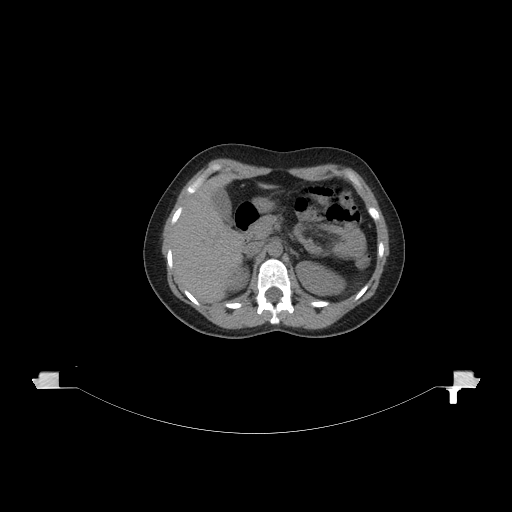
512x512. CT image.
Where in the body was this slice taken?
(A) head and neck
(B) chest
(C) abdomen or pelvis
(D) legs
Answer: (C) abdomen or pelvis
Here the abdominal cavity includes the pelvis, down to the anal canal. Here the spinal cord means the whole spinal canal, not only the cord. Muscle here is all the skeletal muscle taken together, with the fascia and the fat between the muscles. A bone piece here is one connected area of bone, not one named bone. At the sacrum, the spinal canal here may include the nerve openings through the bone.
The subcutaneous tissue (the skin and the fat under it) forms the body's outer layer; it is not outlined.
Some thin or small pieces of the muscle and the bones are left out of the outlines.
The spinal cord is outlined by [[271,287],[276,287],[277,288],[278,288],[281,291],[281,292],[282,293],[282,294],[281,295],[279,300],[278,301],[277,301],[275,303],[273,303],[272,302],[269,301],[266,298],[266,296],[265,295],[265,293],[266,292],[266,291],[269,288],[270,288]]. The abdominal cavity is outlined by [[217,171],[228,172],[236,179],[280,171],[307,181],[334,177],[349,181],[375,224],[376,259],[367,282],[345,299],[317,299],[300,287],[293,272],[280,259],[269,257],[259,265],[241,295],[212,304],[199,301],[180,285],[176,277],[172,236],[190,196]]. The bones appear in 10 outlined pieces: piece 1: [[269,258],[278,259],[286,266],[290,280],[293,311],[289,312],[285,309],[279,311],[276,315],[279,319],[278,324],[270,323],[272,313],[269,310],[264,309],[260,313],[257,312],[257,303],[255,300],[255,296],[258,293],[258,270],[260,265]], around a hole outlined by [[271,287],[276,287],[277,288],[278,288],[281,291],[281,292],[282,293],[282,294],[281,295],[279,300],[278,301],[277,301],[275,303],[273,303],[272,302],[269,301],[266,298],[266,296],[265,295],[265,293],[266,292],[266,291],[269,288],[270,288]]; piece 2: [[215,163],[217,164],[220,164],[221,165],[221,168],[219,170],[217,170],[210,173],[207,176],[207,177],[205,178],[202,183],[193,193],[191,194],[188,193],[186,190],[187,187],[189,185],[190,185],[201,174],[202,174],[210,165],[214,164]]; piece 3: [[345,169],[348,169],[349,170],[351,170],[356,175],[356,176],[358,178],[358,179],[359,180],[359,181],[361,184],[361,188],[358,188],[357,187],[356,187],[348,179],[348,178],[347,177],[346,177],[346,176],[343,173],[343,170],[344,170]]; piece 4: [[370,206],[372,206],[373,207],[374,207],[377,210],[377,211],[378,212],[378,213],[379,214],[379,219],[378,220],[376,220],[375,221],[373,219],[373,218],[370,215],[370,214],[368,212],[368,210],[367,209],[367,208],[368,207],[369,207]]; piece 5: [[315,300],[325,300],[326,301],[328,301],[329,302],[329,303],[327,305],[326,305],[325,306],[323,306],[322,307],[315,307],[314,306],[312,306],[310,304],[310,302],[311,301],[314,301]]; piece 6: [[180,206],[181,206],[182,207],[182,211],[181,212],[181,213],[180,214],[179,217],[175,222],[175,223],[174,224],[172,224],[171,223],[171,219],[172,218],[172,217],[173,216],[173,215],[174,214],[175,211],[178,208],[178,207],[179,207]]; piece 7: [[170,248],[171,249],[171,251],[172,252],[172,261],[173,262],[173,267],[172,268],[169,268],[169,267],[168,266],[168,265],[167,264],[167,252],[168,251],[168,250]]; piece 8: [[225,302],[239,302],[240,303],[241,303],[241,306],[240,307],[238,307],[237,308],[229,308],[228,307],[226,307],[224,305],[224,303]]; piece 9: [[183,290],[187,290],[199,302],[199,303],[200,304],[199,305],[196,305],[190,299],[189,299],[185,295],[185,294],[184,293],[184,292],[183,291]]; piece 10: [[367,283],[368,284],[368,287],[367,288],[367,289],[363,293],[363,294],[359,298],[358,298],[356,300],[354,300],[354,297],[355,296],[355,295],[362,288],[362,287],[365,284],[366,284]]. The muscle is outlined by [[217,158],[229,158],[256,166],[283,168],[333,163],[349,167],[356,171],[373,192],[388,230],[389,254],[374,294],[323,328],[306,329],[279,324],[279,312],[294,311],[289,272],[292,272],[299,287],[316,299],[309,302],[315,308],[322,308],[330,302],[339,302],[354,295],[353,300],[356,301],[364,294],[369,287],[368,281],[375,269],[377,257],[379,259],[384,255],[384,244],[377,240],[375,223],[380,219],[380,214],[374,206],[366,206],[356,189],[361,189],[362,184],[357,175],[348,168],[342,170],[347,179],[334,176],[307,180],[280,170],[236,178],[228,171],[220,170],[222,165],[215,162],[186,187],[186,192],[191,195],[184,207],[178,206],[170,219],[170,223],[174,225],[171,248],[166,252],[166,264],[169,269],[173,268],[184,295],[196,306],[201,302],[207,305],[223,303],[229,309],[240,308],[241,302],[231,301],[246,292],[253,275],[256,274],[256,312],[260,314],[267,310],[271,317],[269,323],[253,327],[223,328],[175,296],[168,285],[165,260],[161,251],[163,227],[183,186],[208,162]]. The torso is outlined by [[229,142],[279,151],[311,146],[339,147],[361,157],[374,171],[400,218],[405,239],[405,261],[392,296],[365,323],[349,332],[321,338],[274,331],[228,339],[190,328],[160,301],[147,280],[142,255],[144,236],[153,209],[174,176],[191,157],[210,146]].